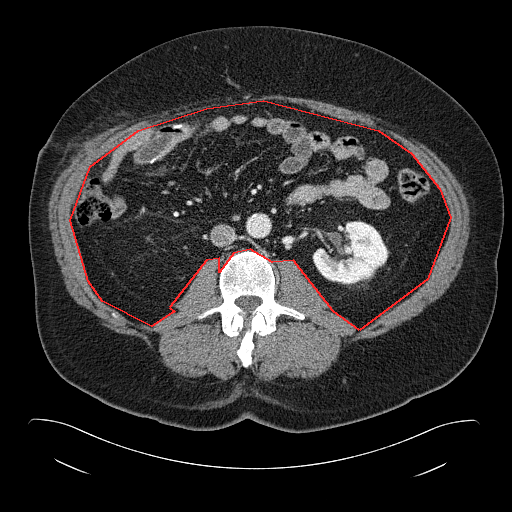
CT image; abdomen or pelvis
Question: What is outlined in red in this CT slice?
Answer: red: abdominal cavity.
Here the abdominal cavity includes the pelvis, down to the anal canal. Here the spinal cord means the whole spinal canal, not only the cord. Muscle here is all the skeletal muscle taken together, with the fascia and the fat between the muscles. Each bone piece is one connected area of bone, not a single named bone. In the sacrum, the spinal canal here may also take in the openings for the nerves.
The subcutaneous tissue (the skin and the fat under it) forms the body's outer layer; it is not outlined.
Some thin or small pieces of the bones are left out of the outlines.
Outlines (x, y in pixels):
abdominal cavity: (263, 100) (378, 130) (411, 153) (439, 188) (450, 217) (427, 279) (359, 330) (333, 311) (293, 260) (272, 262) (250, 249) (233, 253) (219, 272) (219, 258) (206, 260) (169, 307) (174, 311) (151, 326) (102, 301) (88, 281) (70, 220) (90, 166) (138, 130) (206, 108)
muscle: (249, 94) (319, 100) (397, 127) (440, 158) (462, 185) (469, 207) (463, 262) (446, 291) (419, 314) (352, 345) (319, 376) (293, 386) (263, 380) (250, 367) (255, 333) (274, 332) (280, 315) (306, 317) (276, 300) (278, 280) (272, 263) (293, 261) (332, 311) (359, 331) (428, 279) (448, 237) (451, 217) (444, 195) (391, 135) (303, 104) (253, 100) (194, 110) (138, 129) (89, 166) (70, 206) (69, 220) (87, 281) (106, 305) (151, 327) (175, 311) (170, 307) (183, 297) (206, 261) (220, 260) (217, 287) (222, 301) (195, 317) (201, 320) (218, 313) (224, 334) (235, 337) (242, 332) (236, 354) (243, 367) (216, 384) (181, 380) (143, 340) (103, 326) (79, 305) (66, 289) (47, 225) (54, 182) (87, 138) (179, 105)
spinal cord: (241, 296) (257, 296) (258, 297) (259, 297) (261, 299) (261, 303) (258, 306) (257, 306) (250, 313) (250, 314) (249, 315) (247, 315) (247, 314) (246, 313) (246, 312) (245, 311) (244, 311) (239, 306) (238, 306) (235, 303) (235, 300) (237, 298) (238, 298)
bones: (246, 250) (258, 252) (271, 262) (277, 280) (275, 300) (305, 316) (296, 319) (280, 314) (274, 331) (266, 335) (255, 332) (252, 363) (248, 367) (242, 365) (237, 354) (242, 331) (235, 336) (224, 333) (218, 312) (201, 319) (196, 317) (222, 303) (220, 270) (229, 257); inner edge: (241, 296) (257, 296) (258, 297) (259, 297) (261, 299) (261, 303) (258, 306) (257, 306) (250, 313) (250, 314) (249, 315) (247, 315) (247, 314) (246, 313) (246, 312) (245, 311) (244, 311) (239, 306) (238, 306) (235, 303) (235, 300) (237, 298) (238, 298)
torso: (238, 25) (295, 27) (376, 47) (447, 91) (488, 139) (504, 196) (497, 297) (477, 353) (443, 387) (385, 413) (317, 431) (288, 432) (248, 418) (198, 431) (106, 405) (65, 381) (49, 363) (36, 327) (28, 241) (28, 204) (39, 150) (67, 107) (122, 63) (184, 34)